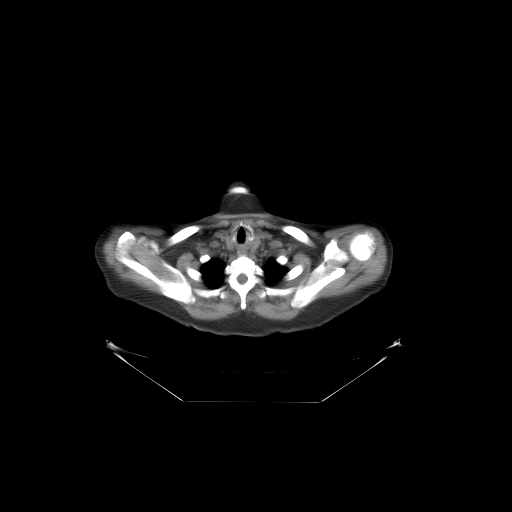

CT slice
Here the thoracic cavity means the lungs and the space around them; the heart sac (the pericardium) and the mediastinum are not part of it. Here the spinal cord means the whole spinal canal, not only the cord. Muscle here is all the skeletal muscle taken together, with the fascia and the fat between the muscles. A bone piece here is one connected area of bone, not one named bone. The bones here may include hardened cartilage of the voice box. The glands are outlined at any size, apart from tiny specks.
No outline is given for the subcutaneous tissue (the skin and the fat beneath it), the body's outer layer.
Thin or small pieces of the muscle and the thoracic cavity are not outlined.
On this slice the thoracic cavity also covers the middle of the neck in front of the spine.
{"torso":[[[214,212],[271,212],[305,222],[339,222],[339,241],[348,259],[372,278],[382,282],[389,281],[388,284],[380,292],[323,327],[265,337],[220,336],[201,332],[119,300],[108,290],[93,255],[93,252],[108,250],[115,243],[118,235],[115,220],[182,222]]],"thoracic_cavity":[[[240,226],[248,230],[253,249],[261,238],[254,235],[254,229],[262,234],[286,272],[270,285],[264,279],[264,269],[248,255],[239,253],[224,266],[221,284],[208,287],[200,271],[202,264],[215,254],[216,244],[224,237],[229,250],[231,238],[227,234]]],"head_and_neck":[[[232,179],[245,179],[249,181],[253,185],[253,186],[255,188],[255,191],[259,195],[259,196],[263,201],[264,205],[269,211],[262,211],[261,212],[224,212],[223,211],[215,211],[216,210],[216,207],[217,206],[218,199],[222,194],[224,185],[228,181]]],"spinal_cord":[[[241,274],[243,274],[244,275],[245,275],[245,276],[246,277],[246,280],[243,283],[240,283],[237,280],[237,278],[238,277],[238,276],[239,275],[240,275]]],"left_arm":[[[352,220],[371,220],[380,224],[387,231],[392,241],[394,248],[393,267],[392,268],[391,276],[389,278],[389,280],[387,281],[382,281],[372,277],[358,266],[355,265],[349,259],[348,256],[345,253],[340,241],[339,226],[340,225],[340,222],[345,222]]],"bones":[[[366,230],[375,237],[372,255],[364,261],[350,254],[347,261],[331,261],[332,266],[343,267],[345,272],[324,286],[307,305],[292,307],[292,294],[258,296],[257,291],[263,286],[304,285],[323,260],[325,245],[332,238],[347,251],[351,237]],[[124,231],[157,242],[159,253],[136,246],[131,254],[159,277],[176,278],[162,266],[163,261],[184,274],[190,267],[201,273],[200,281],[186,277],[193,288],[224,286],[227,295],[196,295],[195,301],[188,304],[164,296],[153,281],[115,257],[117,239]],{"outer":[[239,254],[244,254],[248,256],[262,268],[264,272],[261,284],[256,284],[246,294],[245,296],[245,308],[243,310],[240,306],[240,296],[239,294],[235,290],[232,289],[225,281],[225,277],[226,276],[224,274],[225,266],[227,264],[232,262]],"hole":[[241,274],[243,274],[244,275],[245,275],[245,276],[246,277],[246,280],[243,283],[240,283],[237,280],[237,278],[238,277],[238,276],[239,275],[240,275]]},[[193,224],[199,224],[201,226],[201,228],[198,231],[192,234],[190,236],[187,237],[185,239],[173,245],[171,245],[170,246],[167,245],[167,239],[172,234],[175,233],[183,227],[185,227],[189,225],[192,225]],[[284,224],[289,224],[290,225],[293,225],[294,226],[296,226],[300,228],[303,231],[304,231],[307,234],[307,235],[310,239],[310,244],[306,244],[298,240],[296,238],[290,235],[288,233],[283,231],[281,229],[281,226]],[[298,264],[301,264],[303,266],[303,270],[302,271],[302,272],[298,276],[295,277],[293,279],[291,279],[290,280],[285,280],[284,279],[283,279],[283,276],[287,272],[287,271],[288,270],[291,269],[294,266],[295,266]],[[240,221],[243,221],[245,223],[247,224],[249,224],[249,225],[253,229],[253,238],[251,240],[249,239],[249,233],[250,232],[249,230],[244,226],[242,225],[240,225],[235,229],[233,229],[232,228],[232,227],[234,225],[235,225],[237,222],[239,222]],[[234,186],[243,186],[244,187],[245,187],[246,188],[247,188],[248,189],[248,190],[249,191],[248,192],[248,193],[247,193],[246,194],[244,194],[243,193],[229,193],[229,192],[228,191],[229,190],[229,189],[230,188],[231,188],[232,187],[233,187]],[[280,255],[283,255],[284,256],[285,256],[287,258],[287,261],[286,262],[286,263],[285,264],[284,264],[283,265],[282,265],[281,264],[280,264],[279,263],[278,263],[277,262],[277,261],[276,260],[276,258],[277,257],[278,257]],[[205,254],[207,254],[210,257],[209,258],[209,259],[207,261],[206,261],[205,262],[204,262],[203,263],[202,263],[200,261],[200,257],[202,255],[204,255]]],"thyroid_glands":[[[255,235],[259,235],[260,236],[260,238],[259,239],[259,243],[257,245],[257,246],[255,248],[253,248],[252,247],[252,240],[254,238],[254,236]],[[227,235],[230,238],[230,248],[229,249],[228,249],[227,248],[227,245],[226,244],[226,241],[225,240],[225,237]]],"muscle":[[[224,212],[266,214],[283,224],[280,226],[283,232],[306,245],[311,244],[311,239],[299,227],[321,233],[355,224],[374,227],[382,235],[386,247],[387,261],[384,273],[372,284],[356,291],[322,298],[309,304],[324,287],[346,272],[343,266],[332,265],[331,262],[347,262],[349,255],[357,261],[367,261],[376,250],[375,235],[368,229],[355,233],[347,242],[347,250],[339,246],[335,236],[332,237],[324,245],[322,260],[311,270],[304,284],[276,287],[270,286],[282,278],[290,281],[298,277],[304,266],[298,263],[288,269],[284,265],[288,258],[283,254],[276,257],[266,237],[249,223],[240,220],[215,244],[213,255],[205,253],[199,257],[199,270],[188,266],[184,273],[163,260],[161,266],[174,279],[159,276],[132,254],[136,247],[148,248],[153,254],[159,254],[161,250],[157,241],[124,230],[116,239],[114,257],[158,287],[162,295],[146,290],[120,279],[107,266],[102,246],[111,231],[115,227],[125,226],[157,228],[166,232],[181,228],[166,239],[166,245],[170,247],[198,232],[202,228],[200,224]],[[224,278],[228,286],[238,294],[239,306],[243,311],[246,308],[247,294],[256,285],[261,285],[263,278],[269,285],[263,285],[256,291],[260,299],[266,296],[284,297],[292,295],[289,303],[292,308],[301,309],[305,307],[293,319],[286,321],[267,319],[245,311],[218,320],[196,319],[190,316],[177,302],[188,305],[193,304],[196,301],[196,296],[202,298],[218,296],[224,299],[228,295],[225,286],[221,285]],[[249,192],[249,194],[248,195],[248,200],[247,201],[247,202],[250,206],[249,207],[245,204],[245,201],[243,199],[239,199],[238,200],[232,200],[232,198],[229,194],[243,194],[244,195],[246,195],[247,194],[248,194],[249,193]],[[187,277],[188,277],[189,278],[190,278],[192,280],[193,280],[194,281],[196,281],[197,282],[200,282],[202,280],[202,279],[203,280],[203,281],[206,284],[207,287],[208,288],[209,288],[199,288],[198,287],[193,287],[189,282],[189,281],[188,280]]],"right_arm":[[[113,221],[116,226],[116,229],[117,230],[117,235],[116,236],[116,239],[114,243],[108,249],[104,251],[101,251],[100,252],[95,252],[93,251],[93,246],[94,245],[94,242],[97,236],[102,230],[102,229],[106,225],[107,225],[109,223]]]}